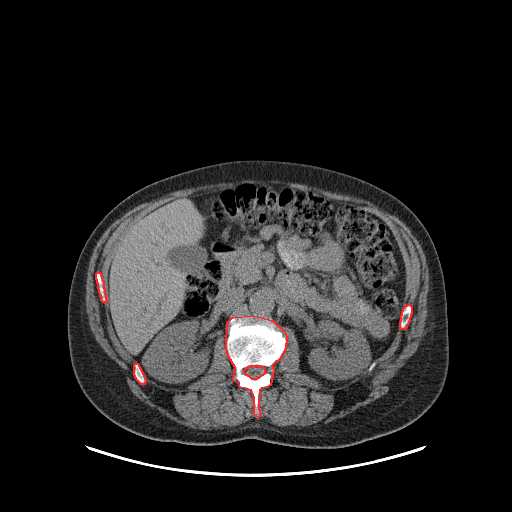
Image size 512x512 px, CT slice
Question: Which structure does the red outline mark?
Answer: red: bones.
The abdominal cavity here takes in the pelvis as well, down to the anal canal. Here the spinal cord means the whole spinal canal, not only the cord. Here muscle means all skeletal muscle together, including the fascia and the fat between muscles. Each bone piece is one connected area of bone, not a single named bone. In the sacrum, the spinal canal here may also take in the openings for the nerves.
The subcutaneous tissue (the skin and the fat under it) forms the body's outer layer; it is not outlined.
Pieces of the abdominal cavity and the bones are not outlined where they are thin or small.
{"bones":[{"outer":[[253,315],[272,320],[282,329],[286,336],[285,349],[279,359],[272,365],[273,370],[270,385],[259,390],[258,408],[260,414],[258,417],[254,415],[254,397],[251,390],[240,387],[238,382],[233,380],[235,367],[228,356],[226,347],[227,322],[232,317]],"hole":[[252,365],[258,365],[259,366],[262,366],[263,367],[264,367],[264,373],[262,375],[261,375],[258,378],[257,378],[256,379],[252,379],[246,374],[245,374],[245,373],[244,372],[244,370],[245,369],[245,368],[246,368],[248,366],[251,366]]},[[408,304],[409,304],[411,306],[411,314],[410,315],[410,317],[409,318],[409,321],[408,322],[408,323],[407,324],[406,327],[404,329],[401,329],[400,328],[400,321],[401,320],[401,315],[402,314],[402,311],[403,310],[404,307],[406,305],[407,305]],[[97,272],[99,272],[101,275],[101,278],[103,282],[103,287],[104,288],[104,293],[105,294],[105,298],[106,299],[106,302],[103,302],[101,300],[101,297],[100,296],[99,290],[98,289],[98,284],[97,283],[97,280],[96,279],[96,273]],[[135,363],[137,363],[138,364],[138,365],[139,366],[139,367],[140,368],[140,369],[141,370],[141,371],[142,372],[142,373],[143,374],[143,375],[145,378],[145,382],[144,383],[144,384],[141,384],[136,379],[136,378],[134,375],[134,364]]],"torso":[[[244,159],[305,163],[358,177],[402,201],[428,231],[445,283],[449,365],[438,398],[411,424],[340,448],[294,447],[251,438],[217,445],[190,445],[130,432],[102,415],[83,394],[70,362],[67,304],[74,268],[91,232],[120,201],[150,183],[190,169]]],"muscle":[{"outer":[[243,179],[300,183],[365,199],[401,220],[425,255],[428,313],[416,351],[385,394],[317,427],[275,426],[259,417],[260,390],[271,385],[273,365],[286,349],[287,336],[280,326],[289,327],[296,337],[299,371],[328,389],[337,389],[371,372],[412,314],[412,306],[404,304],[406,268],[398,242],[388,224],[364,208],[311,189],[242,182],[162,203],[138,218],[116,247],[107,275],[108,316],[117,340],[133,361],[135,379],[141,385],[147,379],[163,388],[183,390],[208,373],[216,341],[225,336],[227,356],[234,367],[232,380],[250,390],[253,397],[255,417],[241,425],[196,430],[161,414],[131,392],[88,323],[85,287],[90,257],[115,220],[173,191]],"hole":[[97,272],[99,272],[101,275],[101,278],[103,282],[103,287],[104,288],[104,293],[105,294],[105,298],[106,299],[106,302],[103,302],[101,300],[101,297],[100,296],[99,290],[98,289],[98,284],[97,283],[97,280],[96,279],[96,273]]}],"spinal_cord":[[[252,365],[258,365],[259,366],[262,366],[263,367],[264,367],[264,373],[262,375],[261,375],[258,378],[257,378],[256,379],[252,379],[246,374],[245,374],[245,373],[244,372],[244,370],[245,369],[245,368],[246,368],[248,366],[251,366]]],"abdominal_cavity":[[[242,183],[311,190],[364,209],[391,230],[405,268],[405,305],[391,347],[353,382],[328,388],[301,372],[294,331],[253,314],[232,316],[226,322],[207,373],[183,389],[163,387],[146,378],[118,340],[109,316],[108,275],[113,255],[130,228],[166,202]]]}